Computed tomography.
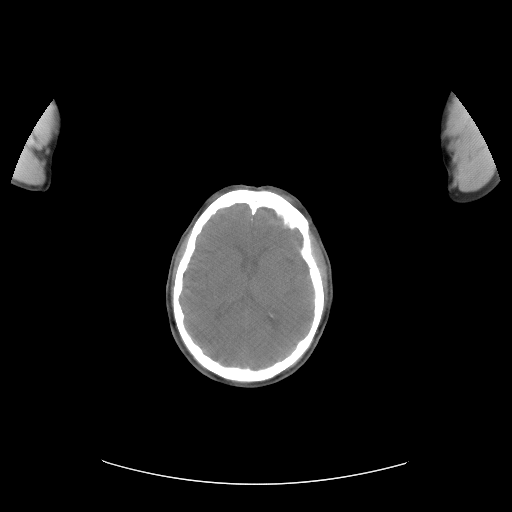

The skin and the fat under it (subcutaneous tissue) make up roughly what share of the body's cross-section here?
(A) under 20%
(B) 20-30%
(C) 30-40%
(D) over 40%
(A) under 20%
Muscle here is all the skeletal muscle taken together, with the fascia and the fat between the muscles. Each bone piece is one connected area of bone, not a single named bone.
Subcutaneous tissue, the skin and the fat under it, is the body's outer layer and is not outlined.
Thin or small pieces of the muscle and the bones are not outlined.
The muscle appears in 6 outlined pieces: piece 1: [[455,96],[464,108],[467,115],[469,116],[469,119],[483,140],[483,143],[489,152],[493,167],[496,170],[494,171],[491,179],[483,187],[473,192],[460,192],[451,186],[452,175],[450,157],[446,149],[446,140],[443,133],[448,105]]; piece 2: [[52,101],[52,106],[58,120],[56,131],[51,141],[49,148],[50,151],[47,157],[45,167],[46,169],[45,182],[42,185],[29,185],[18,182],[12,176],[15,163],[20,153],[23,150],[23,148],[31,138],[38,122],[42,119],[46,110],[52,103]]; piece 3: [[309,221],[312,230],[315,235],[315,237],[322,251],[324,257],[324,260],[325,261],[325,264],[327,268],[328,301],[323,316],[323,312],[324,311],[324,287],[323,286],[323,281],[322,280],[321,272],[313,254]]; piece 4: [[191,227],[186,240],[184,250],[178,262],[178,264],[176,268],[176,271],[174,275],[174,282],[173,283],[172,293],[171,294],[171,305],[171,300],[170,299],[170,288],[171,287],[171,276],[172,275],[173,266],[175,261],[175,257],[183,239]]; piece 5: [[278,193],[280,193],[281,194],[283,194],[284,195],[285,195],[286,196],[287,196],[293,202],[293,203],[295,205],[294,205],[290,201],[289,201],[283,195],[282,195],[281,194],[280,194],[279,193]]; piece 6: [[301,358],[301,359],[295,365],[294,365],[292,367],[291,367],[289,369],[288,369],[287,370],[286,370],[285,371],[284,371],[286,369],[287,369],[289,367],[290,367],[291,366],[292,366],[295,363],[296,363]]. The bones are outlined by [[234,189],[269,190],[275,192],[283,196],[305,216],[309,226],[312,254],[319,269],[323,287],[322,316],[309,347],[292,365],[277,375],[262,381],[230,380],[202,366],[184,344],[173,315],[172,294],[175,275],[191,229],[197,218],[212,201],[223,193]]; inner edge: [[236,204],[247,205],[253,216],[259,208],[271,209],[285,227],[299,232],[301,235],[299,254],[307,266],[313,290],[313,311],[307,332],[283,358],[256,369],[247,366],[225,365],[205,353],[188,331],[180,303],[184,274],[196,249],[198,236],[219,210]]. The head is outlined by [[240,183],[277,186],[287,190],[300,200],[310,213],[328,253],[334,287],[333,304],[328,321],[308,360],[285,379],[258,388],[228,386],[214,381],[196,370],[178,349],[170,332],[165,308],[165,284],[168,268],[172,252],[181,234],[210,194],[224,186]]. The right arm is outlined by [[53,100],[56,100],[61,111],[63,119],[63,127],[52,159],[52,182],[50,187],[46,191],[43,192],[26,190],[13,185],[11,183],[11,181],[14,179],[12,176],[13,169],[20,153],[28,143],[38,122],[42,119],[46,110],[52,103]]. The left arm is outlined by [[449,92],[452,92],[454,94],[464,108],[467,115],[469,116],[469,119],[475,126],[489,152],[493,167],[497,171],[500,179],[497,186],[488,194],[478,200],[469,203],[461,204],[452,202],[446,195],[447,174],[442,161],[440,150],[439,120],[442,107]]. The brain is outlined by [[236,204],[247,205],[253,216],[259,208],[271,209],[285,227],[299,232],[301,235],[299,254],[307,266],[313,290],[313,311],[307,332],[283,358],[256,369],[247,366],[225,365],[205,353],[188,331],[180,303],[184,274],[196,249],[198,236],[219,210]].